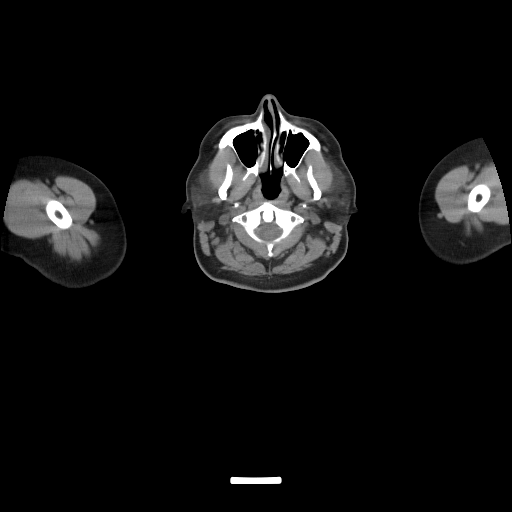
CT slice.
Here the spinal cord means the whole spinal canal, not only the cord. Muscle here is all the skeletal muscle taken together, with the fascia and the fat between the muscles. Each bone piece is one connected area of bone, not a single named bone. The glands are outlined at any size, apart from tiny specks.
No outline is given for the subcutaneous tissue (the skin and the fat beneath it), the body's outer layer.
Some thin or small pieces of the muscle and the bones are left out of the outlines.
{"spinal_cord":[[[262,223],[274,223],[277,226],[278,226],[281,229],[281,232],[280,233],[280,234],[277,237],[276,237],[275,238],[274,238],[273,239],[272,239],[271,240],[265,240],[264,239],[263,239],[262,238],[261,238],[256,233],[256,229]]],"parotid_glands":[[[210,168],[210,171],[208,175],[208,179],[212,182],[216,187],[215,194],[217,196],[220,203],[220,208],[216,215],[209,218],[204,217],[203,219],[201,219],[198,218],[193,212],[193,202],[191,195],[191,188],[198,175],[201,172],[204,172]],[[337,170],[340,170],[345,177],[345,181],[347,183],[347,187],[348,188],[348,207],[345,211],[343,211],[340,214],[341,215],[341,219],[339,221],[337,219],[336,220],[333,219],[329,215],[326,208],[326,198],[328,195],[328,192],[334,181],[334,175]]],"left_arm":[[[477,136],[480,136],[482,138],[491,156],[501,186],[505,202],[506,208],[505,210],[509,223],[510,243],[489,257],[477,263],[468,266],[456,267],[445,264],[438,260],[432,255],[425,245],[418,226],[417,219],[418,199],[425,179],[437,162],[458,145]]],"head_and_neck":[{"outer":[[266,93],[274,94],[287,112],[320,121],[336,137],[355,182],[358,209],[358,214],[349,218],[347,251],[338,265],[322,280],[284,292],[253,291],[208,277],[195,259],[191,214],[189,211],[181,214],[186,197],[186,178],[206,132],[223,117],[252,113]],"holes":[[[250,130],[253,131],[253,133],[254,134],[253,135],[256,138],[259,135],[260,136],[260,141],[258,141],[256,145],[256,157],[255,158],[255,160],[252,165],[250,165],[248,166],[246,165],[242,161],[234,145],[234,140],[238,136]],[[289,134],[292,134],[293,135],[296,135],[297,134],[301,134],[301,135],[307,141],[307,145],[301,153],[301,154],[298,158],[296,163],[293,166],[290,165],[284,159],[284,148],[287,144],[287,142],[288,141],[288,136],[289,135]],[[273,168],[275,168],[276,169],[281,168],[282,174],[279,181],[279,192],[278,194],[272,199],[268,199],[266,198],[265,196],[264,196],[262,192],[262,180],[260,176],[261,174],[263,174],[265,172],[266,172],[267,170],[269,172],[270,172],[273,169]],[[266,100],[267,101],[267,109],[268,110],[268,111],[269,112],[269,113],[271,116],[271,121],[272,122],[272,129],[271,129],[270,128],[270,127],[269,126],[269,125],[268,124],[268,123],[264,119],[264,109],[263,108],[263,105],[264,104],[264,102]],[[271,101],[272,101],[274,103],[274,104],[275,105],[275,106],[276,107],[276,112],[277,113],[277,115],[278,116],[278,125],[277,126],[277,121],[276,120],[276,116],[275,115],[275,111],[274,110],[274,107],[273,106],[273,104],[271,102]]]}],"right_arm":[[[27,152],[45,152],[70,160],[96,175],[111,191],[115,198],[125,223],[127,235],[127,251],[125,258],[119,268],[107,279],[89,287],[81,289],[65,288],[46,279],[35,269],[24,263],[19,258],[9,255],[2,250],[3,217],[10,184],[21,156]]],"muscle":[{"outer":[[241,119],[254,119],[229,127],[219,138],[217,149],[231,148],[245,168],[243,181],[250,175],[258,177],[260,168],[266,165],[266,171],[259,176],[261,192],[267,199],[234,215],[231,220],[254,241],[263,244],[270,258],[275,245],[304,222],[300,214],[279,207],[271,200],[280,192],[282,175],[291,176],[298,183],[296,171],[307,152],[321,152],[319,139],[305,127],[290,121],[311,124],[326,138],[331,158],[339,169],[333,175],[325,208],[341,225],[341,237],[335,253],[311,269],[270,279],[251,279],[220,270],[201,249],[198,223],[200,219],[218,214],[219,198],[228,199],[234,174],[227,162],[217,189],[209,179],[211,168],[202,171],[203,166],[215,134],[226,123]],"hole":[[309,164],[311,164],[311,165],[312,166],[312,172],[313,173],[313,175],[318,184],[318,186],[321,190],[321,196],[318,200],[313,200],[313,190],[310,186],[310,185],[308,182],[308,180],[307,179],[307,169],[308,168],[308,165]]},{"outer":[[57,175],[67,175],[85,182],[96,197],[91,226],[100,234],[101,243],[88,257],[80,261],[73,261],[54,253],[46,236],[35,239],[25,238],[13,233],[3,222],[10,186],[18,179],[38,178],[44,181],[46,178],[51,180]],"hole":[[50,198],[52,199],[56,199],[58,200],[60,202],[61,202],[62,204],[67,209],[68,212],[70,214],[72,218],[72,225],[69,228],[67,229],[60,229],[48,217],[45,211],[45,206],[46,205],[47,200]]},{"outer":[[488,160],[493,161],[495,171],[501,186],[508,220],[505,224],[501,226],[487,229],[481,233],[472,232],[468,236],[464,233],[462,229],[456,228],[452,224],[437,217],[439,209],[434,198],[435,187],[440,178],[452,168],[463,164],[470,165],[476,162]],"hole":[[479,183],[485,183],[489,187],[490,189],[490,196],[489,197],[489,199],[488,201],[483,206],[483,207],[480,210],[479,212],[471,212],[469,211],[467,208],[467,198],[468,197],[468,194],[470,190],[475,185]]}],"bones":[{"outer":[[268,100],[270,100],[272,104],[277,127],[279,125],[278,109],[288,121],[311,132],[320,143],[320,152],[314,149],[308,150],[296,169],[295,171],[299,178],[298,182],[291,175],[284,176],[281,167],[273,167],[269,171],[266,164],[259,168],[258,176],[250,174],[243,180],[246,168],[232,148],[227,145],[220,150],[218,149],[220,138],[229,128],[253,121],[261,109],[263,109],[263,119],[272,130],[273,122],[268,109]],"holes":[[[250,130],[253,131],[253,133],[254,134],[253,135],[256,138],[259,135],[260,136],[260,141],[258,141],[256,145],[256,157],[255,158],[255,160],[252,165],[250,165],[248,166],[246,165],[242,161],[234,145],[234,140],[238,136]],[[289,134],[292,134],[293,135],[296,135],[297,134],[301,134],[301,135],[307,141],[307,145],[301,153],[301,154],[298,158],[296,163],[293,166],[290,165],[284,159],[284,148],[287,144],[287,142],[288,141],[288,136],[289,135]]]},{"outer":[[266,200],[270,200],[275,206],[279,208],[291,210],[303,218],[302,223],[295,226],[285,238],[274,245],[272,248],[273,255],[271,257],[268,256],[267,248],[263,243],[260,243],[254,240],[239,223],[232,220],[234,216],[247,210],[253,209],[259,206]],"hole":[[262,223],[274,223],[277,226],[278,226],[281,229],[281,232],[280,233],[280,234],[277,237],[276,237],[275,238],[274,238],[273,239],[272,239],[271,240],[265,240],[264,239],[263,239],[262,238],[261,238],[256,233],[256,229]]},[[50,198],[52,199],[56,199],[58,200],[60,202],[61,202],[62,204],[67,209],[68,212],[70,214],[72,218],[72,225],[69,228],[67,229],[60,229],[48,217],[45,211],[45,206],[46,205],[47,200]],[[479,183],[485,183],[489,187],[490,189],[490,196],[489,197],[489,199],[488,201],[483,206],[483,207],[480,210],[479,212],[471,212],[469,211],[467,208],[467,198],[468,197],[468,194],[470,190],[475,185]],[[227,163],[229,163],[230,164],[232,169],[232,173],[233,174],[232,175],[232,181],[231,182],[231,184],[227,190],[227,199],[225,200],[222,200],[220,199],[218,195],[217,190],[218,189],[218,187],[221,184],[225,177],[225,173],[226,172],[226,164]],[[309,164],[311,164],[311,165],[312,166],[312,172],[313,173],[313,175],[318,184],[318,186],[321,190],[321,196],[318,200],[313,200],[313,190],[310,186],[310,185],[308,182],[308,180],[307,179],[307,169],[308,168],[308,165]]]}